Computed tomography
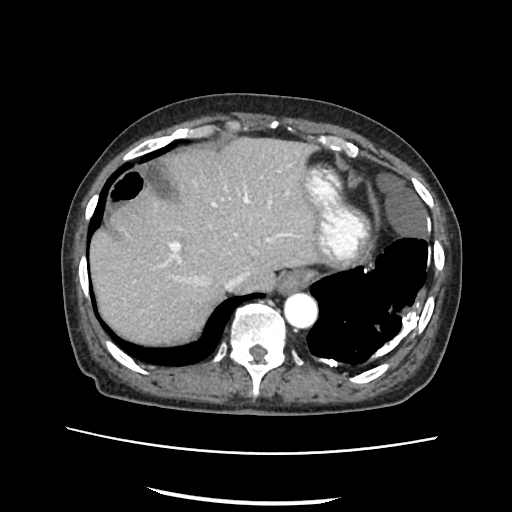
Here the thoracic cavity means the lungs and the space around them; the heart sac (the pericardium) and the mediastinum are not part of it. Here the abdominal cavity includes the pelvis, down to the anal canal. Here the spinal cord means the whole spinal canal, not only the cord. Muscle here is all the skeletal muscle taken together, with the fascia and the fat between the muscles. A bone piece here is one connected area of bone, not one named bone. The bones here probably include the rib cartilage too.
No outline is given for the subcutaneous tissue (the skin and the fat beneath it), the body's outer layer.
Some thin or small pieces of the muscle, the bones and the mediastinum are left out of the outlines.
{"muscle":[{"outer":[[315,404],[325,404],[330,402],[336,403],[337,402],[360,401],[371,398],[385,391],[389,391],[394,385],[399,382],[405,381],[413,375],[422,364],[428,354],[433,344],[435,335],[439,326],[439,315],[441,311],[447,280],[450,276],[450,256],[449,255],[450,245],[445,224],[446,218],[435,193],[428,183],[421,174],[404,161],[387,150],[376,146],[364,136],[339,125],[326,122],[315,122],[303,118],[294,118],[286,116],[277,117],[263,113],[251,113],[239,111],[232,111],[228,113],[215,113],[211,115],[203,115],[191,120],[187,120],[169,127],[163,128],[144,136],[132,143],[110,160],[103,167],[95,179],[81,203],[81,211],[77,222],[77,228],[74,235],[72,252],[72,269],[74,274],[77,305],[79,311],[79,323],[90,351],[90,354],[93,359],[108,372],[115,375],[120,380],[119,381],[120,382],[126,383],[129,386],[137,390],[149,393],[152,395],[184,399],[189,401],[203,401],[204,402],[207,401],[212,403],[221,403],[237,398],[253,397],[254,398],[275,398],[280,400],[294,400],[304,403]],"hole":[[255,397],[263,375],[283,363],[288,337],[294,340],[290,353],[296,364],[307,361],[348,376],[351,382],[364,383],[386,371],[390,365],[384,361],[415,327],[413,335],[423,331],[434,307],[434,297],[428,294],[434,270],[437,273],[443,268],[445,258],[439,240],[432,239],[434,202],[416,178],[409,181],[358,157],[356,145],[336,136],[320,135],[310,142],[294,135],[290,126],[279,127],[277,120],[266,130],[241,130],[233,120],[226,121],[224,125],[230,129],[221,132],[215,124],[180,127],[127,152],[124,163],[88,201],[86,252],[78,266],[80,284],[110,337],[104,340],[106,348],[123,365],[148,374],[138,362],[182,366],[213,353],[214,363],[228,355],[247,369]]}],"mediastinum":[[[294,341],[305,340],[309,329],[318,317],[318,306],[315,298],[309,292],[309,287],[311,284],[302,282],[300,280],[290,280],[286,278],[278,282],[272,291],[266,294],[264,298],[250,301],[258,301],[261,299],[265,303],[277,309],[286,322],[288,337]]],"bones":[{"outer":[[255,397],[259,394],[259,383],[263,375],[268,370],[283,363],[287,339],[287,330],[283,318],[277,310],[261,300],[249,302],[236,308],[228,335],[222,338],[211,360],[214,363],[218,362],[228,355],[234,362],[244,366],[251,376],[253,385],[251,393]],"hole":[[255,361],[259,361],[260,360],[261,360],[262,359],[263,356],[266,353],[266,351],[265,350],[265,349],[264,349],[261,346],[260,346],[259,345],[255,345],[254,346],[253,346],[250,349],[250,353],[253,356],[253,357],[254,358]]},[[124,162],[129,161],[132,159],[139,157],[145,153],[160,148],[175,139],[206,137],[218,130],[219,128],[218,126],[215,124],[208,124],[196,128],[180,127],[173,131],[170,134],[150,138],[143,141],[131,149],[123,156],[122,159]],[[353,158],[356,157],[359,153],[359,149],[358,147],[353,143],[344,140],[342,138],[336,136],[333,136],[332,135],[320,135],[316,138],[316,142],[323,145],[325,147],[337,151],[341,151],[349,157],[352,157]],[[142,374],[148,374],[149,372],[147,370],[141,367],[131,357],[130,357],[122,350],[121,350],[110,339],[106,339],[104,340],[104,343],[105,344],[106,348],[112,355],[112,356],[116,360],[117,360],[120,363],[126,366],[128,368],[134,371],[139,372]],[[355,383],[364,383],[365,382],[368,382],[372,380],[374,378],[379,376],[385,371],[386,371],[386,370],[390,365],[389,363],[387,362],[384,362],[370,369],[365,370],[361,372],[358,375],[356,375],[352,377],[349,377],[348,379],[351,382],[354,382]],[[413,335],[417,333],[418,334],[420,334],[423,331],[431,316],[431,314],[433,311],[433,308],[434,307],[434,297],[432,295],[429,295],[426,300],[426,302],[422,310],[421,315],[419,318],[418,323],[416,326],[417,328],[417,332],[416,333],[414,333]],[[90,301],[90,297],[89,296],[89,282],[88,281],[88,273],[87,272],[87,261],[86,260],[86,255],[85,253],[81,256],[80,260],[79,261],[79,265],[78,266],[78,275],[79,276],[79,280],[80,281],[80,284],[83,290],[84,295],[85,297]],[[431,209],[432,209],[434,206],[434,202],[433,201],[433,199],[432,198],[430,193],[428,191],[428,190],[416,178],[415,178],[414,177],[411,177],[410,178],[410,180],[413,184],[415,189],[418,192],[418,193],[421,196],[421,197],[424,200],[424,201]],[[436,273],[440,271],[443,268],[443,265],[444,264],[444,259],[445,257],[444,256],[444,250],[443,249],[443,247],[440,243],[439,240],[437,239],[434,239],[434,252],[433,253],[434,254],[434,266],[436,270]],[[88,222],[91,216],[93,214],[93,212],[94,211],[94,209],[95,208],[95,206],[96,205],[96,203],[97,202],[97,200],[99,196],[99,193],[95,193],[90,198],[86,206],[86,208],[85,209],[85,219]],[[298,365],[302,365],[304,363],[304,361],[298,355],[298,354],[297,353],[297,352],[296,351],[295,348],[294,347],[292,347],[290,349],[290,353],[291,354],[291,356],[292,357],[292,358],[293,359],[294,362],[296,364],[297,364]]],"abdominal_cavity":[[[157,348],[196,341],[213,310],[230,296],[268,293],[286,277],[312,283],[367,258],[380,216],[371,183],[352,158],[278,127],[224,130],[206,138],[185,139],[143,162],[130,161],[132,165],[110,187],[102,221],[91,238],[90,280],[106,324],[126,341]]],"torso":[[[268,416],[392,406],[431,380],[447,347],[461,296],[459,223],[444,189],[423,157],[399,134],[365,114],[325,100],[269,93],[224,92],[181,99],[144,114],[121,131],[90,167],[73,195],[60,251],[63,308],[70,344],[79,369],[105,396],[186,411]]],"spinal_cord":[[[255,361],[259,361],[260,360],[261,360],[262,359],[263,356],[266,353],[266,351],[265,350],[265,349],[264,349],[261,346],[260,346],[259,345],[255,345],[254,346],[253,346],[250,349],[250,353],[253,356],[253,357],[254,358]]],"thoracic_cavity":[[[346,376],[358,374],[383,362],[403,344],[414,330],[434,275],[430,209],[410,181],[363,157],[350,160],[371,181],[380,211],[381,228],[374,250],[358,267],[324,277],[311,285],[310,292],[318,302],[319,317],[306,340],[294,342],[299,355],[305,361]],[[156,366],[182,366],[205,359],[215,352],[221,338],[227,335],[235,308],[245,301],[262,298],[264,294],[253,293],[224,300],[214,310],[204,332],[196,342],[174,348],[143,348],[119,338],[100,318],[96,309],[95,300],[91,284],[89,280],[88,265],[90,282],[90,283],[90,296],[91,303],[103,329],[137,362]],[[87,260],[88,246],[90,238],[101,221],[105,200],[107,195],[107,191],[115,178],[122,171],[129,167],[131,165],[131,162],[126,162],[120,166],[108,178],[100,192],[100,196],[94,214],[92,216],[88,226],[87,242],[86,243]],[[140,161],[143,161],[147,159],[149,157],[151,157],[154,155],[157,155],[160,153],[163,153],[167,151],[178,143],[182,141],[185,141],[184,139],[175,140],[160,149],[158,149],[155,151],[150,152],[147,154],[145,154],[141,156],[139,159]]]}